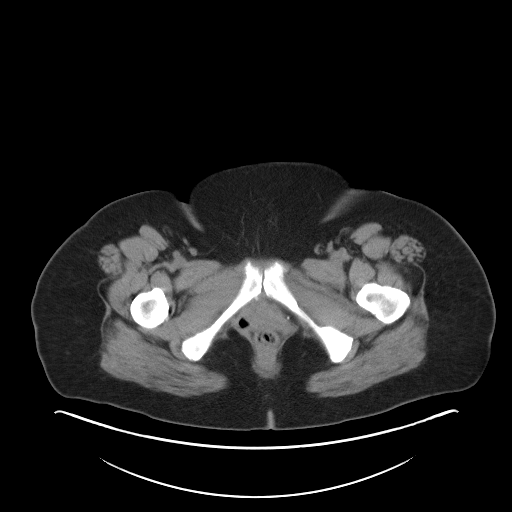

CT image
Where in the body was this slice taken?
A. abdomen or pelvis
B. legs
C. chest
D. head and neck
Answer: A. abdomen or pelvis
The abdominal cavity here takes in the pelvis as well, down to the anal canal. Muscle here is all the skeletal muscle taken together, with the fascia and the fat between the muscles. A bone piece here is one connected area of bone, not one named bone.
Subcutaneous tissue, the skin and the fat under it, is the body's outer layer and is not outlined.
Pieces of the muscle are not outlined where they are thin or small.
Outlines (x, y in pixels):
muscle: 371 221; 403 231; 426 250; 422 265; 429 325; 426 355; 416 368; 357 393; 317 397; 305 390; 306 380; 326 359; 316 340; 300 333; 289 337; 277 356; 279 375; 265 379; 253 371; 253 350; 234 329; 207 354; 205 364; 229 380; 216 392; 178 396; 118 379; 100 367; 105 307; 96 289; 101 275; 97 253; 126 232; 148 224; 194 259; 234 264; 246 257; 274 257; 299 263; 321 259; inner edges: 248 260; 261 269; 281 263; 298 305; 318 325; 332 325; 352 336; 343 361; 332 362; 320 338; 290 311; 293 329; 277 348; 273 368; 264 371; 256 347; 236 325; 243 306; 222 325; 199 360; 183 354; 182 341; 208 327; 231 303, then 368 282; 376 282; 381 285; 389 285; 390 286; 397 287; 407 293; 410 298; 410 304; 403 314; 403 315; 400 318; 390 324; 385 324; 377 319; 370 312; 362 308; 359 305; 358 305; 355 300; 355 296; 360 288; 365 283; 367 283, then 153 287; 159 287; 161 288; 165 294; 165 296; 169 303; 169 313; 168 314; 168 319; 153 328; 145 328; 144 327; 142 327; 133 320; 129 310; 129 307; 130 306; 131 301; 139 292; 141 291; 147 291; 148 290; 150 290
torso: 269 160; 332 165; 355 187; 381 189; 430 206; 459 232; 485 271; 496 309; 491 352; 477 382; 376 415; 291 430; 186 426; 57 393; 36 351; 30 303; 44 265; 66 237; 117 198; 166 189; 186 200; 191 186; 211 172
abdominal cavity: 260 295; 265 295; 268 298; 281 304; 287 309; 293 318; 293 329; 285 336; 277 348; 275 354; 275 364; 270 371; 264 371; 258 365; 258 354; 256 351; 256 347; 247 337; 240 333; 236 325; 238 316; 244 309; 244 306
bones 1: 248 260; 261 269; 274 261; 281 263; 285 268; 284 280; 298 305; 318 325; 332 325; 352 336; 351 350; 343 361; 332 362; 320 338; 308 324; 263 291; 222 325; 199 360; 189 360; 183 354; 182 341; 208 327; 231 303; 241 286
bones 2: 368 282; 376 282; 381 285; 389 285; 390 286; 397 287; 407 293; 410 298; 410 304; 403 314; 403 315; 400 318; 390 324; 385 324; 377 319; 370 312; 362 308; 359 305; 358 305; 355 300; 355 296; 360 288; 365 283; 367 283
bones 3: 153 287; 159 287; 161 288; 165 294; 165 296; 169 303; 169 313; 168 314; 168 319; 153 328; 145 328; 144 327; 142 327; 133 320; 129 310; 129 307; 130 306; 131 301; 139 292; 141 291; 147 291; 148 290; 150 290